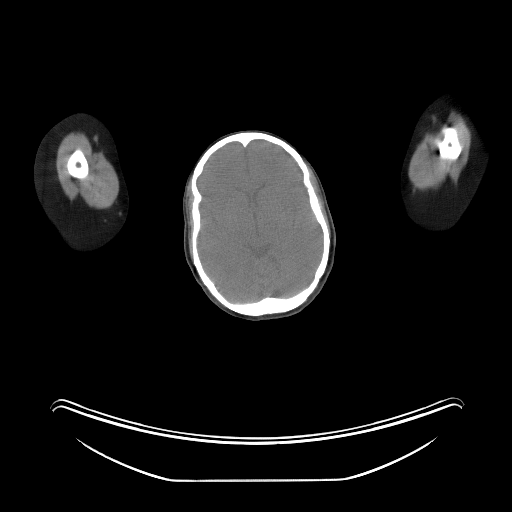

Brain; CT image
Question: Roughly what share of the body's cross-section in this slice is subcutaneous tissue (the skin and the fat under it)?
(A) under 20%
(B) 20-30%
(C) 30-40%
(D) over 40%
Answer: (C) 30-40%
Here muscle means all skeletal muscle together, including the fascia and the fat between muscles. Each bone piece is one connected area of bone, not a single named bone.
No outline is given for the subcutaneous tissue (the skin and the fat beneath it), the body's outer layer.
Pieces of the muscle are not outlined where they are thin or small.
muscle 1: (73, 130) (80, 130) (86, 133) (97, 134) (99, 138) (99, 144) (117, 174) (119, 181) (118, 197) (115, 203) (108, 209) (96, 209) (84, 204) (77, 205) (75, 202) (69, 201) (62, 192) (60, 185) (56, 178) (56, 171) (54, 165) (56, 149) (62, 137) (66, 133), around a hole outlined by (77, 148) (80, 148) (82, 150) (87, 160) (87, 163) (88, 164) (88, 174) (87, 176) (83, 179) (79, 179) (78, 178) (75, 178) (71, 175) (70, 175) (68, 173) (68, 171) (66, 167) (66, 163) (67, 162) (67, 160) (69, 156)
muscle 2: (447, 109) (451, 109) (459, 113) (465, 119) (471, 130) (472, 142) (468, 162) (462, 171) (458, 179) (458, 182) (455, 186) (441, 187) (433, 191) (413, 192) (407, 175) (409, 161) (411, 156) (422, 134) (425, 131) (427, 123) (432, 115) (435, 115), around a hole outlined by (450, 126) (452, 126) (458, 133) (458, 135) (460, 137) (460, 141) (461, 142) (461, 149) (462, 150) (459, 156) (455, 160) (442, 160) (439, 158) (439, 151) (438, 150) (438, 147) (437, 146) (439, 144) (440, 140) (441, 140) (443, 138) (444, 132) (446, 128)
muscle 3: (308, 165) (311, 169) (316, 179) (318, 187) (320, 190) (320, 194) (323, 201) (323, 205) (324, 206) (324, 208) (327, 215) (327, 218) (328, 219) (329, 228) (328, 223) (322, 211) (322, 206) (321, 205) (321, 203) (311, 182) (311, 180) (310, 179) (311, 173)
right arm: (79, 111) (89, 112) (97, 116) (109, 129) (116, 145) (119, 162) (129, 197) (128, 213) (125, 223) (121, 230) (110, 242) (103, 247) (85, 253) (72, 251) (63, 243) (57, 232) (44, 214) (37, 199) (33, 184) (34, 159) (37, 148) (43, 136) (59, 120) (72, 113)
brain: (256, 140) (279, 146) (298, 166) (309, 207) (321, 230) (322, 249) (311, 280) (297, 292) (288, 296) (267, 295) (253, 301) (232, 301) (218, 289) (206, 272) (199, 255) (200, 204) (203, 195) (197, 181) (205, 164) (215, 152) (230, 143) (239, 143) (245, 148) (250, 142)
bones 1: (244, 131) (263, 132) (278, 137) (291, 145) (300, 154) (308, 167) (310, 182) (329, 229) (328, 260) (316, 287) (305, 301) (283, 312) (246, 315) (229, 309) (210, 293) (192, 261) (193, 221) (191, 209) (193, 195) (190, 179) (194, 167) (202, 154) (215, 142) (228, 135) with a hole at (256, 140) (279, 146) (298, 166) (309, 207) (321, 230) (322, 249) (311, 280) (297, 292) (288, 296) (267, 295) (253, 301) (232, 301) (218, 289) (206, 272) (199, 255) (200, 204) (203, 195) (197, 181) (205, 164) (215, 152) (230, 143) (239, 143) (245, 148) (250, 142)
bones 2: (450, 126) (452, 126) (458, 133) (458, 135) (460, 137) (460, 141) (461, 142) (461, 149) (462, 150) (459, 156) (455, 160) (442, 160) (439, 158) (439, 151) (438, 150) (438, 147) (437, 146) (439, 144) (440, 140) (441, 140) (443, 138) (444, 132) (446, 128)
bones 3: (77, 148) (80, 148) (82, 150) (87, 160) (87, 163) (88, 164) (88, 174) (87, 176) (83, 179) (79, 179) (78, 178) (75, 178) (71, 175) (70, 175) (68, 173) (68, 171) (66, 167) (66, 163) (67, 162) (67, 160) (69, 156)
left arm: (443, 91) (451, 92) (459, 101) (473, 121) (489, 152) (489, 162) (485, 177) (481, 184) (481, 187) (463, 219) (455, 227) (448, 231) (442, 233) (430, 233) (420, 229) (408, 217) (402, 204) (400, 196) (399, 181) (402, 162) (418, 117) (426, 104) (434, 96)
head: (244, 130) (263, 130) (271, 132) (283, 138) (309, 161) (322, 184) (335, 227) (335, 254) (333, 265) (326, 282) (318, 295) (305, 309) (286, 319) (251, 323) (227, 315) (214, 305) (202, 292) (185, 258) (182, 198) (187, 177) (202, 153) (214, 140) (225, 134)